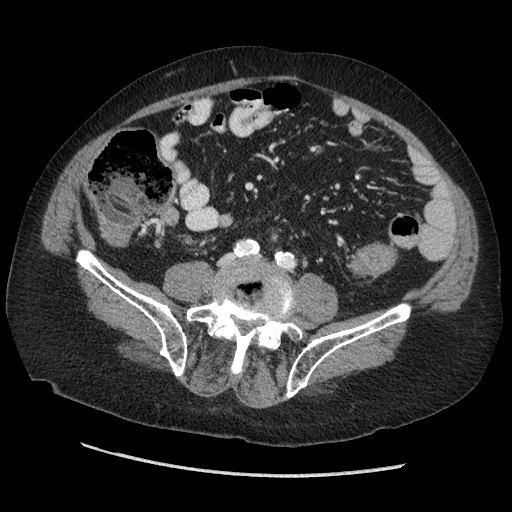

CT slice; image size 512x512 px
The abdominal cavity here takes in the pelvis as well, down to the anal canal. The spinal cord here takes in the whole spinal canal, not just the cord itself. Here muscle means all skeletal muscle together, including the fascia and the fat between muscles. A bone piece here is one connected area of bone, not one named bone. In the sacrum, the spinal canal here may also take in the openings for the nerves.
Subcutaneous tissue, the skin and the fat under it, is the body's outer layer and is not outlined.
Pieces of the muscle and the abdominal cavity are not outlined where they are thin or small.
The bones appear in 3 outlined pieces: piece 1: 256 260; 269 264; 289 280; 293 305; 283 320; 301 328; 303 337; 298 340; 295 334; 291 339; 284 332; 275 350; 252 343; 245 352; 243 370; 234 374; 230 366; 235 342; 210 336; 204 322; 186 320; 186 311; 212 300; 220 270 with a hole at 233 317; 234 317; 236 319; 239 319; 240 320; 245 320; 246 321; 256 321; 257 320; 259 320; 263 322; 262 324; 257 325; 253 327; 248 332; 244 334; 242 334; 239 330; 239 326; 235 322; 235 320; 233 318; piece 2: 81 248; 87 249; 94 254; 105 269; 124 284; 142 294; 150 296; 157 301; 166 304; 169 307; 182 326; 186 335; 187 356; 182 375; 174 375; 167 359; 159 353; 162 343; 160 333; 155 325; 141 311; 111 290; 75 261; 76 253; piece 3: 401 302; 408 302; 412 306; 410 316; 406 321; 391 325; 380 331; 364 336; 338 348; 326 357; 314 369; 305 387; 300 389; 295 395; 290 398; 284 398; 286 391; 286 382; 292 363; 302 348; 311 338; 316 338; 342 329; 360 325. The torso is outlined by 230 45; 328 52; 369 63; 415 92; 467 154; 486 192; 498 236; 503 319; 481 377; 455 404; 409 424; 346 441; 272 447; 132 422; 60 396; 48 382; 30 377; 12 334; 5 291; 18 226; 46 163; 98 107; 134 79; 192 53. The spinal cord is outlined by 233 317; 234 317; 236 319; 239 319; 240 320; 245 320; 246 321; 256 321; 257 320; 259 320; 263 322; 262 324; 257 325; 253 327; 248 332; 244 334; 242 334; 239 330; 239 326; 235 322; 235 320; 233 318. The muscle is outlined by 269 74; 296 75; 312 82; 315 82; 337 90; 380 110; 409 128; 423 142; 435 159; 448 172; 453 180; 464 190; 469 198; 475 212; 475 217; 478 227; 479 259; 476 267; 476 273; 472 284; 471 292; 468 298; 461 305; 460 309; 455 312; 450 312; 447 314; 433 315; 429 317; 420 318; 412 323; 408 324; 405 330; 404 336; 400 341; 400 344; 395 353; 395 357; 392 360; 387 361; 377 367; 362 370; 361 372; 343 381; 339 386; 331 392; 320 393; 316 395; 312 395; 311 397; 286 400; 269 407; 254 408; 243 405; 237 399; 234 392; 231 389; 214 397; 200 396; 193 393; 160 373; 154 372; 149 369; 145 369; 139 364; 125 361; 112 347; 105 331; 100 325; 98 320; 87 309; 86 301; 80 290; 79 279; 76 272; 72 266; 62 258; 50 253; 43 248; 40 241; 40 233; 42 225; 42 218; 48 200; 59 175; 73 155; 83 145; 90 140; 95 138; 112 126; 123 120; 136 110; 167 96; 229 79; 239 77; 268 75 with holes at 283 80; 343 100; 416 148; 450 189; 459 224; 443 265; 387 307; 335 321; 339 304; 334 286; 311 271; 300 274; 290 284; 293 305; 283 320; 301 328; 302 339; 284 332; 275 350; 252 343; 243 370; 234 374; 235 342; 210 336; 204 322; 186 320; 189 307; 212 300; 218 272; 206 261; 191 260; 168 267; 161 289; 132 278; 98 255; 83 221; 79 192; 90 161; 118 128; 207 94 and at 81 248; 87 249; 94 254; 105 269; 124 284; 142 294; 150 296; 157 301; 166 304; 169 307; 182 326; 186 335; 187 356; 182 375; 174 375; 167 359; 159 353; 162 343; 160 333; 155 325; 141 311; 111 290; 75 261; 76 253 and at 401 302; 408 302; 412 306; 410 316; 406 321; 391 325; 380 331; 364 336; 338 348; 326 357; 314 369; 305 387; 300 389; 295 395; 290 398; 284 398; 286 391; 286 382; 292 363; 302 348; 311 338; 316 338; 342 329; 360 325. The abdominal cavity is outlined by 283 80; 307 84; 382 122; 416 148; 450 189; 458 210; 456 242; 427 281; 387 307; 335 321; 338 293; 311 271; 291 283; 258 259; 218 271; 206 261; 191 260; 168 267; 161 289; 98 255; 79 192; 87 166; 115 130; 207 94.